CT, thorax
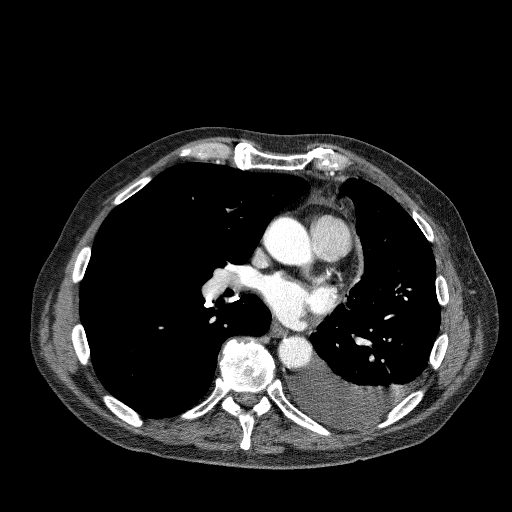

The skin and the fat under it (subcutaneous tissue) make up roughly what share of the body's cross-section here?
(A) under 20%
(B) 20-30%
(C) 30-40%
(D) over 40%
(A) under 20%
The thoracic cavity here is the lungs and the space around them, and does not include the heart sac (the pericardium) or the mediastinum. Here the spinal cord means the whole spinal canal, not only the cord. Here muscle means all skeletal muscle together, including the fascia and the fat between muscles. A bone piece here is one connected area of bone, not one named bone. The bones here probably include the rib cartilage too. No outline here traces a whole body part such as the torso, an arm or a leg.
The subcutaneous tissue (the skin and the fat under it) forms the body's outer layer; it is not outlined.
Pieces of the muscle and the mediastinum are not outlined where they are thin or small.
The thoracic cavity appears in 2 outlined pieces: piece 1: 190 160; 222 160; 244 171; 296 176; 309 187; 271 218; 242 268; 240 291; 257 296; 269 310; 266 331; 234 335; 222 344; 218 375; 197 404; 171 417; 142 417; 111 394; 94 370; 80 321; 80 282; 95 237; 110 212; 166 168; piece 2: 359 175; 395 199; 430 243; 435 262; 435 294; 441 307; 440 321; 428 365; 416 379; 415 389; 383 419; 353 429; 332 429; 292 403; 281 380; 286 374; 301 370; 314 358; 311 334; 342 301; 362 271; 355 204; 342 193; 345 181. The bones appear in 10 outlined pieces: piece 1: 232 337; 253 338; 261 344; 273 358; 275 376; 281 381; 285 396; 331 434; 324 436; 307 429; 274 407; 254 418; 250 447; 244 450; 240 447; 243 429; 239 420; 219 404; 195 419; 181 419; 182 413; 212 391; 219 375; 222 346, around a hole outlined by 243 392; 250 392; 251 393; 253 393; 254 394; 255 394; 256 395; 256 397; 257 398; 257 401; 254 404; 253 404; 251 406; 246 406; 245 405; 242 405; 239 402; 239 394; 240 393; 242 393; piece 2: 243 140; 258 150; 271 154; 295 154; 319 146; 331 148; 348 157; 351 164; 343 170; 333 171; 316 169; 312 164; 301 170; 262 168; 244 170; 236 167; 231 157; 225 160; 180 157; 178 154; 181 149; 199 143; 220 142; 232 147; piece 3: 420 388; 424 389; 425 390; 425 392; 422 399; 413 409; 412 409; 408 413; 407 413; 404 416; 395 422; 385 427; 382 427; 381 428; 377 428; 376 427; 376 425; 379 422; 382 421; 386 417; 387 414; 394 407; 395 407; 412 392; piece 4: 107 393; 112 395; 115 398; 116 398; 118 400; 119 400; 121 402; 122 402; 124 404; 137 412; 143 419; 143 424; 140 426; 134 426; 124 421; 122 419; 118 417; 115 414; 114 414; 105 405; 102 400; 102 396; 104 394; 106 394; piece 5: 78 322; 80 322; 83 327; 83 329; 85 333; 85 336; 87 340; 88 347; 89 348; 89 354; 90 355; 89 359; 90 360; 90 363; 87 365; 83 365; 80 362; 74 349; 74 346; 71 338; 71 331; 72 330; 72 328; 73 326; piece 6: 444 332; 446 332; 448 336; 448 343; 447 344; 447 348; 446 349; 446 351; 444 354; 444 356; 439 366; 435 370; 434 370; 431 367; 431 366; 428 364; 428 361; 429 360; 430 353; 433 347; 434 342; 437 338; 438 335; piece 7: 86 245; 90 245; 91 246; 91 252; 90 253; 90 256; 89 257; 89 259; 88 260; 88 262; 87 263; 87 265; 86 266; 86 268; 85 269; 82 279; 78 283; 74 283; 72 280; 72 272; 73 271; 75 260; 80 250; piece 8: 147 175; 150 175; 152 176; 152 178; 151 180; 143 187; 142 187; 139 190; 138 190; 135 193; 131 195; 121 203; 115 206; 112 204; 112 201; 117 195; 118 195; 121 192; 122 192; 130 185; 131 185; 142 177; 144 176; 146 176; piece 9: 437 274; 441 274; 445 278; 446 280; 446 282; 447 283; 447 288; 448 289; 448 302; 446 304; 446 305; 444 306; 441 306; 439 304; 438 302; 438 300; 437 299; 437 295; 436 294; 436 285; 435 284; 435 280; 436 279; 436 275; piece 10: 411 208; 414 208; 416 210; 416 211; 429 224; 429 225; 431 227; 433 231; 434 236; 435 237; 435 240; 433 242; 430 242; 426 238; 426 237; 424 235; 424 234; 422 232; 422 231; 420 229; 416 222; 413 219; 412 216; 410 214. The pericardium is outlined by 306 202; 329 204; 339 209; 350 219; 357 236; 360 269; 357 279; 348 288; 341 301; 329 314; 310 327; 303 329; 289 329; 274 317; 266 302; 255 294; 247 285; 246 267; 260 246; 260 240; 272 218; 277 214; 294 209. The muscle appears in 2 outlined pieces: piece 1: 315 141; 340 146; 379 167; 441 227; 469 321; 479 318; 482 324; 482 357; 457 391; 418 423; 341 450; 247 453; 255 418; 274 408; 324 437; 332 434; 329 429; 395 423; 423 399; 426 390; 416 389; 417 379; 428 366; 435 371; 448 348; 448 333; 439 329; 449 289; 436 273; 432 227; 414 207; 407 211; 381 187; 346 169; 352 161; 345 154; 321 145; 298 152; piece 2: 216 136; 250 139; 263 150; 288 154; 260 150; 245 139; 232 146; 220 141; 199 142; 181 148; 177 154; 180 158; 194 159; 178 161; 153 176; 144 175; 117 194; 111 201; 114 207; 99 226; 92 244; 84 245; 74 260; 71 280; 74 284; 79 283; 79 321; 72 326; 70 338; 79 362; 83 366; 91 363; 108 392; 101 396; 102 402; 118 418; 134 427; 142 426; 143 418; 178 416; 181 420; 191 421; 219 405; 238 420; 242 429; 239 447; 243 450; 237 451; 201 449; 192 444; 167 444; 107 420; 87 407; 56 376; 42 356; 39 345; 39 322; 49 291; 61 283; 73 250; 103 207; 103 202; 172 150; 190 141. The spinal cord is outlined by 243 392; 250 392; 251 393; 253 393; 254 394; 255 394; 256 395; 256 397; 257 398; 257 401; 254 404; 253 404; 251 406; 246 406; 245 405; 242 405; 239 402; 239 394; 240 393; 242 393. The mediastinum appears in 3 outlined pieces: piece 1: 270 310; 273 317; 289 330; 303 330; 310 328; 324 318; 323 321; 309 336; 314 349; 313 358; 301 369; 290 371; 286 373; 281 379; 276 376; 276 364; 272 354; 261 343; 253 337; 238 338; 234 336; 260 336; 265 333; 271 321; piece 2: 252 169; 303 170; 307 172; 347 170; 354 172; 358 176; 348 177; 341 187; 341 193; 350 198; 354 204; 354 226; 351 219; 339 208; 321 201; 306 201; 294 208; 278 213; 302 196; 309 189; 309 183; 296 175; 254 172; 249 170; piece 3: 259 242; 260 243; 259 246; 254 252; 251 259; 245 267; 245 283; 253 293; 250 293; 249 292; 242 292; 240 286; 242 285; 244 281; 244 270; 243 268; 248 260; 251 257; 254 250; 258 245.